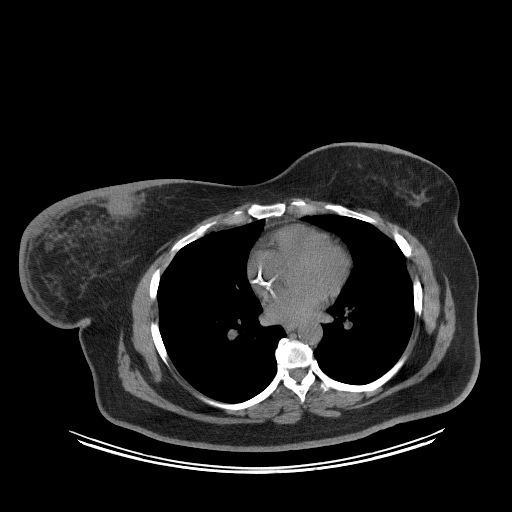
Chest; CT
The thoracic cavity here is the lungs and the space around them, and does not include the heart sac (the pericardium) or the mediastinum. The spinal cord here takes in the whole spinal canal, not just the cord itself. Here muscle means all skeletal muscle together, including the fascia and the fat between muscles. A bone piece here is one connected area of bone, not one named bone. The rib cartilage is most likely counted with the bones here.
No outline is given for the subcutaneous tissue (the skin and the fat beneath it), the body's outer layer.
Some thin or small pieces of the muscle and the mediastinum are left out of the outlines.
The bones appear in 6 outlined pieces: piece 1: 284 337; 307 344; 325 374; 353 385; 379 378; 405 349; 407 357; 389 380; 372 391; 333 388; 323 391; 317 379; 301 403; 300 398; 281 383; 258 403; 228 410; 209 405; 198 395; 224 403; 239 403; 258 394; 276 374; 275 350; inner edge: 295 368; 303 368; 304 369; 305 369; 306 370; 306 373; 305 374; 305 375; 301 379; 301 380; 300 381; 299 381; 298 382; 296 380; 295 380; 290 375; 290 370; 291 370; 292 369; 294 369; piece 2: 297 199; 319 206; 327 203; 339 204; 376 219; 376 225; 330 212; 304 215; 286 212; 281 216; 252 219; 239 225; 216 225; 201 237; 179 249; 169 262; 171 247; 202 224; 223 218; 236 210; 246 209; 253 203; 266 205; 288 203; piece 3: 152 321; 156 321; 158 323; 158 327; 159 328; 160 335; 161 336; 161 338; 162 339; 164 347; 166 350; 167 355; 169 358; 169 366; 167 366; 163 362; 154 344; 154 342; 153 341; 153 338; 151 334; 151 329; 150 328; 150 324; piece 4: 416 276; 417 276; 417 277; 419 279; 419 281; 420 282; 420 283; 421 284; 421 289; 422 290; 422 309; 421 310; 421 314; 420 315; 417 315; 415 313; 415 311; 414 310; 414 296; 413 295; 413 280; 414 279; 414 278; piece 5: 394 228; 396 228; 396 229; 398 231; 398 232; 405 238; 405 239; 411 246; 411 247; 412 248; 412 255; 410 257; 409 257; 408 258; 404 255; 404 254; 400 249; 399 246; 394 240; 394 239; 393 238; 393 235; 392 234; 392 231; piece 6: 157 268; 159 268; 160 269; 160 278; 159 279; 159 283; 158 284; 158 286; 157 287; 157 292; 156 293; 156 299; 155 300; 151 300; 151 299; 150 298; 150 296; 149 295; 149 284; 150 283; 151 276; 152 275; 153 272. The muscle is outlined by 246 202; 252 202; 246 208; 202 223; 178 239; 168 251; 167 265; 161 273; 157 267; 148 284; 149 298; 157 303; 158 321; 149 324; 155 349; 167 367; 170 360; 200 393; 197 397; 202 402; 228 411; 244 410; 266 399; 281 384; 303 404; 317 380; 323 392; 372 392; 403 366; 415 314; 420 316; 423 309; 422 284; 417 275; 412 281; 406 263; 413 248; 396 227; 392 238; 376 226; 376 218; 355 208; 373 210; 405 228; 443 270; 456 322; 436 368; 421 381; 365 406; 344 410; 338 417; 305 412; 288 424; 196 420; 126 391; 117 370; 120 331; 124 329; 124 343; 130 341; 133 295; 158 256; 156 251; 204 219. The torso is outlined by 339 142; 383 143; 410 151; 437 164; 457 186; 457 221; 479 278; 480 365; 466 397; 446 412; 363 438; 277 452; 176 445; 107 420; 95 401; 78 329; 48 323; 22 291; 19 243; 32 218; 72 194; 138 180; 259 183; 306 152. The thoracic cavity appears in 2 outlined pieces: piece 1: 261 219; 264 219; 263 228; 249 251; 246 277; 262 307; 267 323; 279 325; 285 336; 278 340; 274 350; 275 374; 262 390; 243 401; 219 401; 201 393; 190 384; 170 359; 158 322; 158 287; 161 274; 176 253; 186 245; 209 232; piece 2: 327 213; 367 222; 393 239; 405 257; 412 282; 414 317; 407 344; 388 370; 374 380; 363 384; 347 383; 332 378; 321 369; 314 356; 314 350; 324 334; 322 325; 326 310; 338 298; 353 268; 350 251; 339 236; 301 220; 305 215. The mediastinum appears in 2 outlined pieces: piece 1: 263 308; 263 311; 270 319; 276 323; 281 324; 288 322; 299 322; 307 318; 317 316; 325 310; 325 315; 323 316; 324 321; 321 325; 323 334; 315 349; 313 350; 305 342; 287 337; 284 329; 279 324; 268 323; 268 318; 263 314; piece 2: 284 214; 293 214; 297 216; 303 216; 301 217; 301 219; 300 220; 298 220; 297 219; 284 219; 279 221; 274 221; 268 224; 265 227; 263 232; 260 235; 260 234; 263 231; 263 229; 264 228; 265 219; 270 218; 271 217; 281 217. The spinal cord is outlined by 295 368; 303 368; 304 369; 305 369; 306 370; 306 373; 305 374; 305 375; 301 379; 301 380; 300 381; 299 381; 298 382; 296 380; 295 380; 290 375; 290 370; 291 370; 292 369; 294 369. The pericardium is outlined by 284 220; 297 220; 305 222; 339 237; 346 245; 349 251; 352 260; 352 267; 335 301; 324 309; 321 313; 299 321; 288 321; 281 323; 274 321; 266 314; 260 301; 255 295; 247 277; 247 262; 252 247; 264 232; 266 227; 274 222.